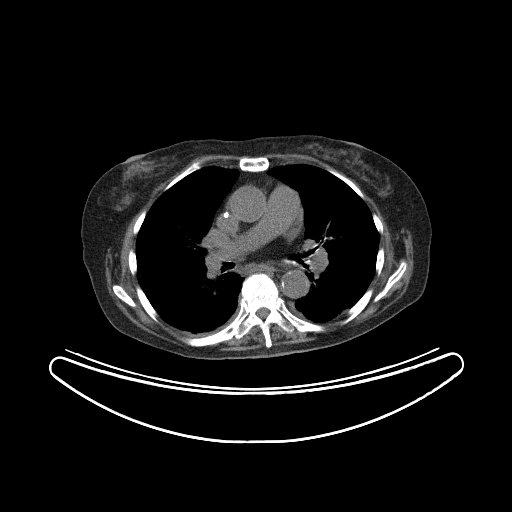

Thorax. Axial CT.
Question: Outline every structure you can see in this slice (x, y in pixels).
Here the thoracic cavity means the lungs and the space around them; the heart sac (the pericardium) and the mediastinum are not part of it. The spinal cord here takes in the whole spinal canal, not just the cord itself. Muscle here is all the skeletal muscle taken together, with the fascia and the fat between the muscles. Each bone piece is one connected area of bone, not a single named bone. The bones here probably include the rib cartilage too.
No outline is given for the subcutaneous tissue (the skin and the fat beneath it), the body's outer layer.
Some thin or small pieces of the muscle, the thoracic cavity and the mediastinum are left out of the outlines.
Answer: {"pericardium":[[[262,178],[274,178],[295,191],[299,199],[301,208],[301,227],[299,233],[291,242],[291,244],[281,254],[273,257],[254,257],[250,256],[247,253],[244,253],[230,241],[229,237],[228,238],[223,235],[214,225],[214,218],[219,207],[235,189],[244,184]]],"muscle":[{"outer":[[206,154],[240,155],[242,156],[237,161],[238,167],[213,164],[203,166],[205,162],[204,159],[194,160],[163,188],[164,191],[149,209],[147,211],[143,208],[135,219],[132,227],[132,233],[136,235],[135,247],[134,249],[130,248],[128,250],[127,263],[130,273],[133,276],[136,274],[139,284],[135,287],[136,296],[145,312],[155,322],[157,323],[159,321],[159,316],[175,328],[191,336],[195,336],[183,337],[181,339],[183,343],[189,347],[212,346],[232,338],[238,340],[255,326],[260,329],[263,335],[264,346],[262,347],[248,350],[186,348],[184,345],[162,339],[137,326],[119,309],[107,290],[105,256],[122,228],[138,212],[151,192],[160,183],[178,172],[194,158]],"hole":[[114,284],[117,284],[118,285],[121,286],[124,289],[124,290],[134,301],[134,302],[135,303],[135,306],[134,307],[133,307],[132,306],[130,306],[128,304],[127,304],[125,302],[124,302],[122,300],[121,300],[115,294],[115,293],[112,288],[112,286]]},{"outer":[[349,178],[353,179],[383,210],[394,225],[410,231],[414,265],[407,288],[384,310],[355,325],[342,327],[309,341],[272,345],[272,324],[276,324],[287,333],[294,330],[300,333],[322,333],[326,330],[322,323],[345,311],[346,316],[339,324],[347,324],[366,307],[373,295],[374,289],[369,285],[375,274],[380,275],[385,260],[384,248],[379,247],[380,234],[383,234],[384,228],[379,216],[372,213],[364,201],[364,193]],"hole":[[402,261],[404,261],[406,263],[406,269],[401,276],[401,277],[390,287],[390,288],[387,291],[387,292],[384,295],[384,296],[383,296],[377,301],[374,301],[374,298],[375,296],[383,289],[390,275],[395,271],[395,270],[399,266],[400,263]]},[[268,153],[299,153],[300,154],[306,154],[312,156],[320,160],[322,162],[328,164],[335,169],[333,168],[327,168],[324,169],[316,165],[313,165],[308,163],[302,163],[301,162],[284,163],[283,164],[273,164],[270,165],[269,159],[265,155],[262,155]]],"spinal_cord":[[[260,308],[266,308],[269,311],[269,312],[268,313],[268,314],[264,318],[261,318],[260,317],[259,317],[256,314],[256,312]]],"mediastinum":[[[296,191],[303,208],[305,248],[296,259],[305,269],[310,284],[307,294],[297,298],[289,308],[266,273],[255,272],[243,278],[232,269],[234,264],[216,249],[212,223],[213,219],[214,227],[244,254],[254,258],[277,257],[292,244],[302,227],[302,208]],[[236,168],[238,168],[242,171],[245,171],[246,172],[262,172],[267,170],[267,173],[270,176],[274,177],[262,177],[244,183],[235,188],[232,192],[224,199],[231,190],[233,185],[236,182],[239,176],[239,171]]],"bones":[{"outer":[[255,273],[264,273],[274,282],[278,295],[294,315],[323,325],[324,331],[294,329],[287,332],[272,323],[269,326],[270,347],[265,346],[264,335],[257,325],[238,339],[232,337],[206,346],[184,343],[183,338],[206,336],[228,325],[238,313],[244,279]],"hole":[[260,308],[266,308],[269,311],[269,312],[268,313],[268,314],[264,318],[261,318],[260,317],[259,317],[256,314],[256,312]]},[[243,156],[246,156],[247,157],[256,157],[257,156],[265,156],[268,159],[269,161],[269,166],[267,169],[265,170],[263,170],[262,171],[246,171],[245,170],[242,170],[240,168],[239,168],[238,166],[238,161],[239,159]],[[368,288],[372,288],[373,289],[373,292],[369,301],[367,303],[365,307],[354,318],[353,318],[350,321],[349,321],[345,324],[340,324],[340,322],[347,316],[346,311],[352,306],[353,306],[359,300],[359,299],[364,294],[364,293],[368,289]],[[402,261],[404,261],[406,263],[406,269],[401,276],[401,277],[390,287],[390,288],[387,291],[387,292],[384,295],[384,296],[383,296],[377,301],[374,301],[374,298],[375,296],[383,289],[390,275],[395,271],[395,270],[399,266],[400,263]],[[137,285],[139,285],[140,286],[141,289],[145,294],[149,302],[157,312],[158,314],[158,316],[157,317],[158,319],[158,321],[157,322],[155,321],[146,312],[146,311],[142,306],[137,296],[137,293],[136,292],[136,287]],[[200,159],[204,160],[204,162],[202,166],[200,168],[189,173],[187,175],[186,175],[184,177],[183,177],[181,179],[177,181],[168,189],[164,190],[164,188],[175,177],[176,177],[180,173],[181,173],[184,170],[185,170],[194,161],[196,161]],[[327,169],[333,169],[337,171],[342,175],[347,177],[350,180],[351,180],[363,193],[364,195],[364,199],[360,197],[356,193],[356,192],[354,191],[354,190],[352,189],[352,188],[350,187],[344,181],[343,181],[335,175],[329,172],[327,170]],[[114,284],[117,284],[118,285],[121,286],[124,289],[124,290],[134,301],[134,302],[135,303],[135,306],[134,307],[133,307],[132,306],[130,306],[128,304],[127,304],[125,302],[124,302],[122,300],[121,300],[115,294],[115,293],[112,288],[112,286]],[[130,249],[133,249],[134,250],[134,251],[135,252],[135,257],[136,258],[136,264],[137,265],[137,270],[136,271],[136,273],[134,275],[133,275],[131,273],[131,272],[130,271],[130,269],[129,268],[129,264],[128,263],[128,254],[129,253],[129,250]],[[380,247],[382,247],[383,248],[383,250],[384,251],[384,260],[383,261],[383,265],[382,266],[381,271],[380,272],[379,275],[377,275],[376,274],[376,270],[375,269],[375,266],[376,265],[376,260],[377,259],[377,254],[378,253],[378,250]],[[143,209],[145,209],[147,212],[145,215],[145,217],[144,218],[144,219],[143,220],[143,221],[140,226],[140,228],[139,229],[137,234],[134,234],[133,233],[133,227],[134,226],[134,224],[136,221],[136,219],[138,217],[138,216],[140,214],[141,211]],[[373,213],[376,214],[378,216],[378,217],[380,219],[380,220],[381,221],[381,223],[382,224],[382,227],[383,228],[383,232],[382,233],[382,234],[379,233],[376,228],[376,226],[374,223],[374,221],[373,220],[373,217],[372,216],[372,214]]],"torso":[[[296,134],[316,134],[359,143],[393,161],[413,180],[425,202],[432,233],[429,272],[422,295],[379,326],[348,341],[276,357],[223,360],[189,358],[155,348],[118,331],[97,301],[82,258],[82,212],[88,193],[97,179],[131,155],[184,140],[243,140]]],"thoracic_cavity":[[[211,165],[235,168],[238,171],[235,182],[215,211],[211,229],[215,236],[215,249],[225,261],[233,264],[231,269],[243,280],[237,302],[238,310],[234,318],[215,332],[196,336],[165,321],[152,305],[137,277],[135,248],[137,235],[156,200],[189,174]],[[296,163],[319,167],[344,182],[366,204],[379,234],[375,273],[367,289],[349,308],[321,323],[299,317],[289,309],[297,299],[308,294],[311,284],[306,275],[306,269],[297,259],[297,256],[306,250],[304,208],[299,193],[270,175],[268,170],[277,165]]]}